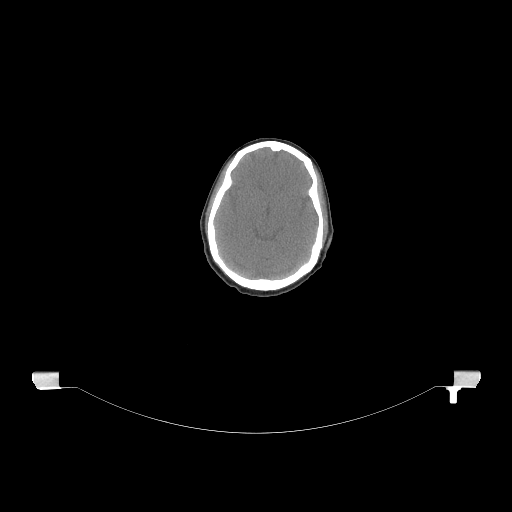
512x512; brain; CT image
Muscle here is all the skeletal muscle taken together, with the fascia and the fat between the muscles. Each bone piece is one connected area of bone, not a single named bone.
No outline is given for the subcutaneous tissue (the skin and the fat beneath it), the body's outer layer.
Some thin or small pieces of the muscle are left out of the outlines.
Outlined structures:
brain: 265 148; 268 148; 273 152; 284 151; 302 163; 310 179; 310 184; 306 192; 317 218; 314 238; 310 246; 307 259; 289 274; 276 278; 248 277; 230 267; 220 253; 215 227; 215 217; 217 211; 225 193; 233 184; 233 171; 244 156
muscle 1: 314 164; 318 170; 322 182; 323 193; 325 198; 326 210; 327 211; 327 220; 328 221; 328 233; 327 234; 326 240; 324 243; 322 249; 323 247; 323 246; 323 232; 324 222; 323 221; 323 214; 322 213; 322 208; 320 203; 320 198; 318 193; 318 178; 317 177; 317 174; 315 171
muscle 2: 229 161; 225 169; 222 181; 214 195; 214 197; 211 204; 211 207; 208 215; 208 220; 206 225; 206 236; 204 221; 205 220; 205 213; 207 209; 207 206; 209 203; 209 200; 211 197; 211 194; 215 187; 215 185; 219 178; 219 176
bones: 265 140; 275 140; 287 143; 297 148; 311 159; 317 178; 317 193; 323 222; 322 247; 315 265; 310 271; 293 283; 273 290; 251 289; 232 280; 213 260; 207 240; 207 225; 210 211; 215 195; 223 181; 228 164; 238 150; 252 143 with a hole at 265 148; 268 148; 273 152; 284 151; 302 163; 310 179; 310 184; 306 192; 317 218; 314 238; 310 246; 307 259; 289 274; 276 278; 248 277; 230 267; 220 253; 215 227; 215 217; 217 211; 225 193; 233 184; 233 171; 244 156
head: 262 136; 275 136; 291 140; 302 146; 317 160; 322 170; 329 195; 334 229; 334 244; 327 252; 321 268; 295 289; 270 297; 257 297; 242 294; 224 283; 206 261; 199 231; 200 214; 210 186; 220 166; 230 152; 236 147; 248 140